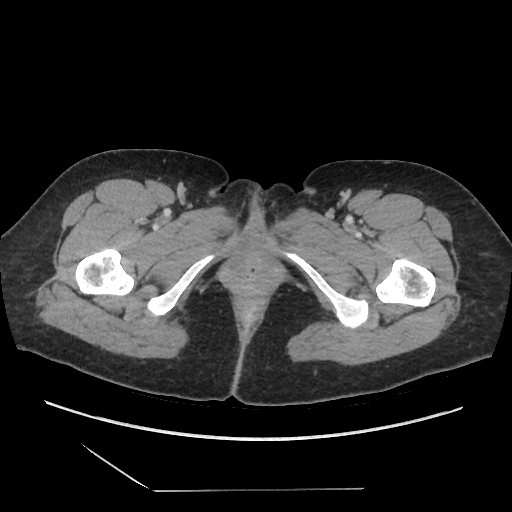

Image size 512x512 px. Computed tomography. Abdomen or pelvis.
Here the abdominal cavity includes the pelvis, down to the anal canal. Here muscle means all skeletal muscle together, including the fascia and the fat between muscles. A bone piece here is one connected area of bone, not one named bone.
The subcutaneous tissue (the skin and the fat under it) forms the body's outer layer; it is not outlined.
{"muscle":[{"outer":[[132,176],[158,180],[191,199],[255,220],[277,218],[299,207],[320,211],[364,189],[384,188],[424,198],[452,227],[460,313],[435,340],[395,356],[357,365],[298,361],[287,352],[288,340],[309,323],[327,318],[311,291],[282,283],[253,337],[242,342],[226,288],[215,280],[203,292],[194,287],[187,298],[182,320],[188,342],[176,356],[135,358],[102,350],[41,320],[35,294],[54,272],[52,255],[69,203],[101,181]],"holes":[[[398,258],[406,258],[417,264],[419,264],[428,269],[432,272],[434,275],[436,282],[436,287],[430,303],[428,305],[424,307],[416,307],[402,303],[385,303],[382,302],[378,298],[375,290],[376,286],[383,280],[388,274],[390,271],[393,261]],[[104,248],[115,248],[121,255],[121,264],[123,268],[128,274],[131,275],[133,277],[134,280],[133,287],[128,293],[124,295],[112,295],[111,294],[84,294],[80,291],[78,285],[75,280],[75,269],[78,262],[84,257],[94,252],[100,251]],[[284,252],[293,252],[302,257],[316,269],[323,278],[337,291],[343,292],[347,296],[356,299],[365,299],[368,302],[368,317],[365,322],[354,328],[343,325],[337,318],[335,314],[334,308],[329,299],[317,286],[314,281],[297,264],[284,256],[283,254]],[[209,254],[214,254],[215,255],[214,258],[213,258],[203,268],[202,268],[194,277],[194,278],[182,292],[178,298],[175,305],[170,310],[163,315],[155,316],[147,309],[146,307],[146,303],[151,297],[161,294],[168,290],[192,264],[206,255],[208,255]],[[248,298],[253,298],[254,299],[258,300],[262,304],[263,307],[253,325],[251,326],[251,327],[247,332],[244,332],[244,326],[240,322],[240,320],[239,319],[239,315],[238,314],[238,311],[237,310],[237,306],[236,305],[237,305],[242,300],[244,300]],[[280,260],[282,261],[285,261],[289,264],[290,264],[293,267],[296,268],[296,269],[303,276],[304,279],[306,281],[306,282],[309,286],[303,283],[298,282],[294,278],[293,278],[291,276],[289,271],[286,268],[284,264]],[[223,260],[224,260],[217,267],[217,270],[216,271],[216,272],[207,281],[206,281],[202,277],[202,276],[212,266],[213,266],[215,264],[216,264],[217,263],[218,263],[219,262],[220,262],[221,261],[222,261]]]}],"bones":[[[398,258],[406,258],[417,264],[419,264],[428,269],[432,272],[434,275],[436,282],[436,287],[430,303],[428,305],[424,307],[416,307],[402,303],[385,303],[382,302],[378,298],[375,290],[376,286],[383,280],[388,274],[390,271],[393,261]],[[104,248],[115,248],[121,255],[121,264],[123,268],[128,274],[131,275],[133,277],[134,280],[133,287],[128,293],[124,295],[112,295],[111,294],[84,294],[80,291],[78,285],[75,280],[75,269],[78,262],[84,257],[94,252],[100,251]],[[284,252],[293,252],[302,257],[316,269],[323,278],[337,291],[343,292],[347,296],[356,299],[365,299],[368,302],[368,317],[365,322],[354,328],[343,325],[337,318],[335,314],[334,308],[329,299],[317,286],[314,281],[297,264],[284,256],[283,254]],[[209,254],[214,254],[215,255],[214,258],[213,258],[203,268],[202,268],[194,277],[194,278],[182,292],[178,298],[175,305],[170,310],[163,315],[155,316],[147,309],[146,307],[146,303],[151,297],[161,294],[168,290],[192,264],[206,255],[208,255]]],"abdominal_cavity":[[[248,298],[253,298],[254,299],[258,300],[262,304],[263,307],[253,325],[251,326],[251,327],[247,332],[244,332],[244,326],[240,322],[240,320],[239,319],[239,315],[238,314],[238,311],[237,310],[237,306],[236,305],[237,305],[242,300],[244,300]]],"torso":[[[119,148],[187,151],[216,160],[232,180],[249,178],[263,187],[284,182],[296,191],[314,168],[337,160],[399,159],[450,175],[511,240],[507,303],[491,356],[381,392],[255,406],[233,396],[196,401],[144,393],[19,350],[4,304],[1,235],[69,166]]]}